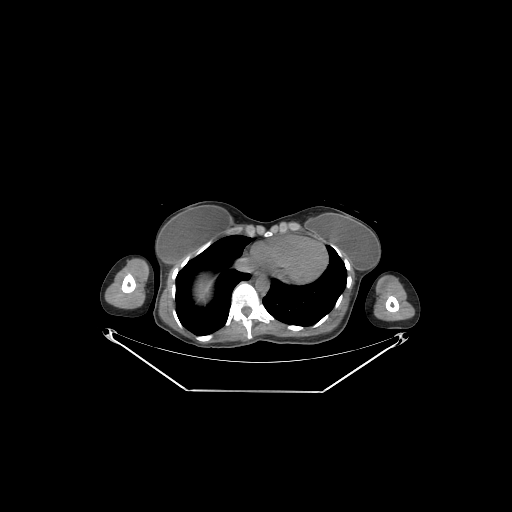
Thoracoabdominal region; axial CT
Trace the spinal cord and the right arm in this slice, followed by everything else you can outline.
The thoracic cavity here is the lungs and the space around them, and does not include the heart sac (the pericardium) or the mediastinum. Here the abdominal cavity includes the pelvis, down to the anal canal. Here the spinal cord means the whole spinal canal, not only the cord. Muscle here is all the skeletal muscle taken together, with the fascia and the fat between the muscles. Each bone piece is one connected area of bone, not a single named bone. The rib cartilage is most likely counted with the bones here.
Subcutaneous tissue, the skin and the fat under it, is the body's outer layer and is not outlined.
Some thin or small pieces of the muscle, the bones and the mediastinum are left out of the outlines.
Outlined structures:
spinal cord: (245, 306) (247, 306) (248, 307) (249, 307) (251, 309) (251, 311) (250, 312) (250, 313) (248, 315) (245, 315) (242, 312) (242, 308) (243, 307) (244, 307)
right arm: (132, 253) (138, 253) (141, 254) (145, 256) (150, 261) (154, 271) (154, 293) (155, 296) (154, 297) (154, 300) (153, 299) (151, 301) (148, 310) (145, 314) (136, 318) (116, 317) (108, 314) (103, 310) (99, 300) (100, 286) (107, 272) (113, 264) (121, 257)
torso: (204, 200) (229, 203) (249, 217) (261, 221) (311, 206) (329, 206) (373, 228) (380, 240) (381, 257) (376, 267) (362, 278) (343, 331) (331, 340) (311, 345) (257, 341) (231, 349) (214, 349) (186, 344) (159, 328) (153, 319) (160, 281) (154, 253) (156, 232) (170, 213)
left arm: (386, 270) (395, 270) (405, 275) (413, 285) (419, 297) (420, 303) (421, 304) (421, 313) (420, 314) (420, 317) (417, 323) (414, 326) (410, 328) (407, 329) (380, 329) (372, 325) (366, 317) (364, 311) (364, 302) (365, 301) (365, 298) (367, 292) (375, 278) (381, 272)
breast implant 1: (201, 205) (214, 205) (222, 208) (229, 214) (233, 222) (233, 224) (214, 236) (205, 240) (194, 251) (187, 253) (178, 261) (174, 263) (172, 262) (165, 262) (163, 261) (160, 258) (156, 251) (156, 241) (162, 229) (175, 216) (178, 215) (183, 211) (197, 206) (200, 206)
breast implant 2: (327, 213) (333, 213) (344, 216) (361, 224) (372, 231) (378, 240) (378, 243) (380, 247) (377, 261) (372, 266) (362, 269) (356, 268) (351, 263) (351, 261) (341, 252) (341, 250) (335, 244) (327, 241) (324, 238) (319, 236) (304, 226) (306, 221) (309, 218) (314, 218)
bones 1: (243, 280) (247, 281) (255, 288) (264, 307) (275, 319) (271, 320) (268, 323) (265, 323) (262, 321) (254, 319) (252, 321) (251, 326) (252, 338) (250, 339) (247, 338) (247, 330) (240, 321) (233, 320) (229, 325) (227, 326) (225, 325) (231, 305) (232, 292) (236, 285), around a hole outlined by (245, 306) (247, 306) (248, 307) (249, 307) (251, 309) (251, 311) (250, 312) (250, 313) (248, 315) (245, 315) (242, 312) (242, 308) (243, 307) (244, 307)
bones 2: (290, 223) (298, 224) (298, 230) (288, 230) (283, 233) (276, 232) (270, 236) (265, 237) (259, 234) (249, 236) (246, 235) (245, 232) (245, 228) (248, 226) (252, 226) (255, 228) (261, 226) (265, 230) (269, 230) (272, 228) (277, 228) (281, 224) (287, 225)
bones 3: (209, 240) (212, 240) (213, 242) (204, 250) (197, 255) (192, 257) (178, 271) (174, 281) (175, 284) (175, 296) (174, 299) (173, 299) (171, 296) (171, 287) (173, 283) (173, 281) (171, 278) (171, 274) (174, 267) (178, 266) (186, 255) (189, 253) (193, 253) (199, 247)
bones 4: (127, 273) (130, 273) (133, 276) (133, 277) (135, 280) (135, 283) (136, 284) (136, 285) (135, 286) (135, 288) (131, 292) (129, 292) (128, 293) (126, 293) (125, 292) (122, 291) (122, 290) (121, 289) (121, 285) (122, 284) (123, 279) (124, 278) (125, 275)
bones 5: (389, 295) (393, 295) (394, 296) (395, 296) (395, 297) (397, 299) (397, 300) (398, 301) (398, 303) (399, 304) (399, 308) (398, 309) (398, 310) (397, 310) (394, 312) (392, 312) (391, 311) (389, 311) (386, 308) (386, 307) (385, 306) (385, 302) (386, 301) (386, 300)
bones 6: (331, 243) (335, 245) (340, 250) (340, 252) (343, 255) (343, 256) (345, 257) (348, 260) (349, 262) (349, 264) (350, 265) (350, 270) (349, 271) (347, 271) (345, 267) (345, 264) (344, 263) (344, 261) (343, 259) (338, 254) (336, 250) (329, 244)
bones 7: (208, 334) (212, 334) (213, 335) (212, 336) (212, 337) (208, 341) (207, 341) (206, 342) (201, 342) (200, 341) (199, 341) (198, 340) (197, 340) (195, 338) (195, 336) (196, 335) (197, 336) (202, 336) (203, 335) (207, 335)
bones 8: (233, 227) (241, 227) (243, 229) (239, 233) (234, 233) (233, 234) (230, 234) (229, 233) (228, 233) (227, 232) (227, 230) (229, 228) (232, 228)
bones 9: (328, 313) (328, 317) (320, 325) (319, 325) (318, 326) (317, 326) (316, 327) (315, 327) (314, 328) (312, 328) (311, 327) (311, 326) (312, 325) (313, 325) (315, 323) (316, 323) (321, 318) (322, 318) (326, 314) (327, 314)
bones 10: (287, 325) (299, 325) (300, 326) (303, 326) (304, 327) (302, 329) (301, 329) (300, 330) (298, 330) (297, 331) (294, 331) (293, 330) (291, 330) (290, 329) (288, 329) (287, 328) (287, 327) (286, 326)
bones 11: (173, 309) (175, 309) (175, 311) (176, 312) (176, 314) (177, 315) (177, 317) (178, 318) (178, 319) (179, 320) (179, 321) (183, 326) (183, 328) (180, 328) (178, 326) (178, 325) (177, 324) (177, 323) (176, 322) (176, 321) (174, 318) (174, 316) (173, 315)
bones 12: (342, 293) (342, 294) (343, 295) (343, 296) (342, 297) (342, 299) (341, 300) (341, 301) (340, 302) (340, 304) (338, 306) (338, 307) (337, 308) (334, 308) (334, 306) (335, 305) (335, 303) (336, 302) (336, 301) (337, 300) (337, 299) (338, 298) (338, 297)
bones 13: (348, 274) (349, 274) (350, 275) (350, 276) (351, 277) (351, 285) (350, 286) (350, 287) (349, 288) (346, 288) (346, 281) (347, 280) (347, 275)
thoracic cavity 1: (234, 234) (251, 237) (251, 240) (244, 247) (240, 257) (231, 266) (240, 272) (248, 273) (250, 277) (247, 280) (243, 279) (239, 281) (233, 288) (224, 325) (211, 333) (197, 335) (184, 327) (178, 317) (175, 303) (175, 281) (177, 275) (192, 258) (214, 242) (225, 236); inner edge: (201, 270) (212, 270) (215, 272) (218, 272) (218, 276) (215, 282) (215, 287) (214, 288) (213, 297) (209, 303) (208, 303) (205, 306) (203, 306) (202, 307) (196, 306) (194, 304) (192, 297) (191, 296) (191, 286) (192, 285) (192, 281) (193, 280) (193, 278) (196, 273)
thoracic cavity 2: (326, 244) (332, 247) (342, 259) (347, 272) (345, 287) (337, 297) (333, 307) (316, 322) (307, 326) (299, 324) (288, 324) (276, 319) (267, 310) (262, 301) (262, 298) (270, 287) (271, 280) (274, 278) (289, 285) (303, 285) (314, 281) (326, 269) (329, 262)
abdominal cavity 1: (201, 270) (212, 270) (215, 272) (218, 272) (218, 276) (215, 282) (215, 287) (214, 288) (213, 297) (209, 303) (208, 303) (205, 306) (203, 306) (202, 307) (196, 306) (194, 304) (192, 297) (191, 296) (191, 286) (192, 285) (192, 281) (193, 280) (193, 278) (196, 273)
abdominal cavity 2: (241, 256) (250, 256) (256, 262) (256, 263) (257, 264) (257, 267) (258, 268) (258, 269) (254, 272) (251, 272) (250, 273) (249, 273) (248, 272) (243, 272) (242, 271) (240, 271) (239, 270) (232, 267) (232, 266) (234, 264) (235, 261) (237, 259) (240, 258) (241, 257)
pericardium: (291, 231) (306, 232) (310, 236) (319, 238) (325, 242) (324, 243) (325, 249) (328, 255) (327, 265) (321, 274) (310, 282) (303, 284) (289, 284) (283, 282) (260, 269) (258, 267) (257, 262) (249, 255) (251, 246) (254, 242) (266, 237) (270, 237) (274, 234) (283, 234)
muscle 1: (132, 258) (140, 258) (144, 260) (146, 262) (149, 269) (148, 278) (145, 284) (145, 289) (146, 290) (145, 300) (141, 306) (134, 309) (123, 309) (122, 308) (118, 308) (106, 302) (104, 298) (104, 294) (107, 287) (113, 281) (114, 277) (117, 272) (126, 264) (127, 260); inner edge: (127, 273) (130, 273) (133, 276) (133, 277) (135, 280) (135, 283) (136, 284) (136, 285) (135, 286) (135, 288) (131, 292) (129, 292) (128, 293) (126, 293) (125, 292) (122, 291) (122, 290) (121, 289) (121, 285) (122, 284) (123, 279) (124, 278) (125, 275)
muscle 2: (349, 260) (355, 273) (355, 281) (346, 311) (341, 321) (334, 329) (326, 333) (312, 336) (281, 337) (272, 334) (261, 334) (253, 337) (252, 326) (254, 320) (265, 324) (268, 324) (271, 321) (278, 320) (287, 324) (285, 326) (286, 328) (294, 332) (300, 331) (308, 326) (310, 326) (312, 329) (320, 326) (329, 317) (330, 311) (333, 308) (337, 309) (341, 304) (344, 296) (343, 291) (345, 288) (349, 289) (352, 285) (352, 277) (348, 273) (351, 270)
muscle 3: (384, 275) (393, 275) (398, 278) (407, 294) (407, 300) (415, 309) (415, 314) (412, 317) (408, 319) (403, 319) (402, 320) (386, 321) (385, 320) (381, 320) (377, 318) (374, 315) (373, 313) (373, 306) (375, 303) (375, 300) (376, 299) (375, 288) (378, 280); inner edge: (389, 295) (393, 295) (394, 296) (395, 296) (395, 297) (397, 299) (397, 300) (398, 301) (398, 303) (399, 304) (399, 308) (398, 309) (398, 310) (397, 310) (394, 312) (392, 312) (391, 311) (389, 311) (386, 308) (386, 307) (385, 306) (385, 302) (386, 301) (386, 300)
muscle 4: (184, 256) (179, 264) (173, 267) (170, 274) (172, 281) (170, 296) (175, 304) (175, 308) (172, 309) (172, 315) (177, 326) (180, 329) (185, 328) (194, 334) (194, 338) (198, 341) (190, 339) (170, 327) (160, 318) (158, 313) (159, 299) (166, 286) (167, 274) (173, 264)
muscle 5: (233, 321) (235, 322) (240, 322) (245, 328) (246, 330) (246, 338) (247, 340) (245, 341) (238, 340) (237, 341) (227, 341) (226, 342) (212, 342) (211, 343) (205, 343) (208, 342) (213, 337) (214, 335) (212, 333) (215, 332) (223, 326) (225, 326) (226, 327) (229, 326)
muscle 6: (283, 221) (284, 221) (285, 222) (290, 222) (291, 221) (298, 222) (299, 223) (300, 223) (300, 224) (302, 226) (302, 227) (306, 231) (307, 231) (308, 232) (310, 232) (313, 234) (315, 234) (319, 237) (324, 239) (327, 242) (330, 243) (326, 243) (326, 242) (325, 241) (324, 241) (324, 240) (323, 239) (322, 239) (319, 237) (316, 237) (316, 236) (315, 235) (314, 236) (313, 235) (310, 235) (306, 231) (302, 231) (301, 230) (299, 230) (299, 229) (300, 228) (300, 225) (296, 222) (290, 222) (287, 224) (285, 224) (284, 223) (281, 223) (277, 227) (276, 226) (275, 227) (272, 227) (269, 229) (265, 229) (262, 226) (263, 226) (266, 228) (269, 228) (271, 226) (272, 226) (273, 225) (275, 225) (276, 224) (278, 224)
muscle 7: (236, 224) (251, 224) (252, 225) (255, 225) (256, 226) (257, 225) (259, 225) (259, 226) (258, 227) (255, 227) (252, 225) (248, 225) (244, 228) (244, 232) (245, 234) (241, 234) (240, 233) (244, 229) (241, 226) (233, 226) (232, 227) (229, 227) (233, 225) (235, 225)
muscle 8: (225, 230) (226, 230) (226, 232) (228, 234) (229, 234) (227, 235) (225, 235) (217, 239) (215, 241) (213, 241) (212, 239) (209, 239) (207, 240) (208, 239) (210, 239) (214, 237) (216, 235) (219, 234) (221, 232)
mediastinum 1: (259, 269) (263, 271) (267, 275) (269, 275) (272, 277) (272, 278) (270, 280) (270, 284) (269, 285) (269, 287) (266, 293) (261, 298) (256, 288) (251, 283) (250, 283) (248, 281) (248, 280) (251, 277) (251, 275) (250, 274) (251, 273) (254, 273) (256, 272)
mediastinum 2: (256, 235) (259, 235) (260, 236) (262, 236) (264, 237) (261, 239) (258, 239) (254, 241) (251, 244) (250, 246) (250, 248) (249, 249) (249, 251) (248, 252) (248, 255) (242, 255) (243, 253) (243, 251) (245, 247) (252, 240) (252, 237) (254, 237)